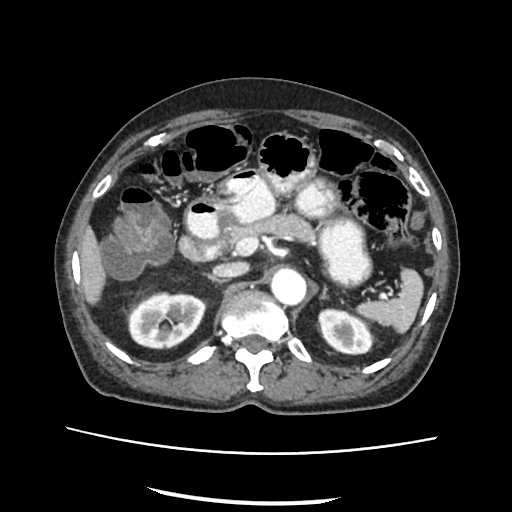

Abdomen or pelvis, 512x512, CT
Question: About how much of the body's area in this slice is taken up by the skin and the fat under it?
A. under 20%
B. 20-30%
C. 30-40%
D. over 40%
Answer: A. under 20%
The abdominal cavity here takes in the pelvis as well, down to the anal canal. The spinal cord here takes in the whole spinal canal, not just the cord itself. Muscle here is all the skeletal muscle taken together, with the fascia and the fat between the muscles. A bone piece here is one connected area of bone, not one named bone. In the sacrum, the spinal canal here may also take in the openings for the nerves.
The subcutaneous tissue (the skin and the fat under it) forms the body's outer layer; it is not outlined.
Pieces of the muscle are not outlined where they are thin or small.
The bones appear in 11 outlined pieces: piece 1: [[252,392],[263,388],[258,380],[259,370],[265,363],[278,359],[274,354],[277,344],[284,342],[291,353],[303,361],[311,362],[312,358],[290,331],[283,307],[266,293],[249,288],[230,299],[217,335],[232,348],[235,359],[248,369],[250,379],[246,386]], around a hole outlined by [[252,353],[256,353],[260,350],[264,348],[266,348],[268,346],[268,343],[267,341],[263,337],[261,336],[259,336],[258,335],[248,335],[242,338],[240,340],[240,343],[241,345],[245,348],[246,348],[250,352]]; piece 2: [[426,197],[428,197],[430,195],[430,193],[429,192],[429,190],[428,188],[424,183],[423,180],[421,178],[418,172],[412,166],[409,165],[407,167],[408,174],[406,177],[412,184],[412,185],[415,188],[415,189],[421,195],[423,196],[425,196]]; piece 3: [[191,364],[198,364],[201,362],[203,362],[204,361],[207,360],[212,355],[213,352],[216,349],[216,348],[217,347],[215,345],[211,345],[210,344],[208,344],[207,345],[206,345],[205,346],[198,349],[194,353],[191,354],[186,358],[186,361]]; piece 4: [[402,162],[404,160],[404,157],[403,155],[400,152],[400,151],[396,147],[395,147],[389,142],[381,138],[376,138],[374,139],[374,143],[375,145],[383,149],[386,152],[393,155],[398,160]]; piece 5: [[93,200],[95,200],[98,197],[99,197],[101,195],[102,195],[109,188],[109,187],[112,182],[112,175],[110,173],[108,173],[106,175],[105,175],[100,180],[100,181],[97,184],[97,185],[95,187],[95,188],[92,193],[92,199]]; piece 6: [[138,148],[140,148],[141,147],[153,147],[160,143],[163,143],[165,141],[165,139],[168,136],[168,134],[166,132],[162,132],[158,134],[154,134],[148,137],[145,140],[144,140],[142,142],[141,144],[141,146],[139,148]]; piece 7: [[135,365],[138,365],[138,363],[134,361],[125,352],[124,352],[122,350],[118,348],[111,342],[109,341],[105,341],[105,344],[106,346],[111,352],[112,352],[115,355],[116,355],[122,360],[130,364],[134,364]]; piece 8: [[421,326],[425,323],[425,322],[430,316],[433,310],[433,308],[435,304],[435,301],[436,300],[436,296],[437,295],[435,291],[432,292],[431,295],[428,299],[428,301],[426,304],[426,306],[425,307],[425,309],[424,310],[423,315],[419,323],[419,324]]; piece 9: [[363,373],[371,373],[372,372],[374,372],[375,371],[382,368],[384,366],[385,366],[391,360],[391,359],[392,358],[390,356],[388,356],[387,357],[386,357],[385,358],[383,358],[370,365],[368,365],[367,366],[362,368],[361,369],[361,371]]; piece 10: [[77,284],[79,284],[80,283],[80,276],[79,275],[79,257],[78,256],[78,251],[77,250],[74,250],[74,251],[73,252],[73,254],[72,255],[72,271],[73,272],[73,277],[74,278],[74,280],[75,281],[75,282]]; piece 11: [[438,251],[439,250],[440,250],[440,249],[441,248],[441,236],[440,235],[440,233],[439,232],[438,229],[435,226],[433,226],[432,227],[432,239],[433,240],[433,243],[434,244],[434,246],[435,247],[436,250],[437,250]]. The spinal cord is outlined by [[252,353],[256,353],[260,350],[264,348],[266,348],[268,346],[268,343],[267,341],[263,337],[261,336],[259,336],[258,335],[248,335],[242,338],[240,340],[240,343],[241,345],[245,348],[246,348],[250,352]]. The torso is outlined by [[279,415],[375,409],[398,402],[415,388],[433,361],[453,311],[460,273],[457,223],[420,143],[390,115],[347,95],[294,80],[221,78],[182,89],[143,109],[96,155],[75,188],[56,234],[57,299],[82,375],[99,393],[145,405],[211,413],[252,404]]. The muscle is outlined by [[288,405],[365,396],[401,378],[416,361],[448,282],[446,225],[432,184],[407,150],[384,132],[352,118],[315,110],[206,109],[130,136],[97,173],[77,209],[66,243],[67,287],[80,331],[104,369],[134,388],[182,399],[217,403],[249,391],[245,386],[247,369],[234,359],[231,348],[215,333],[176,360],[148,362],[132,358],[139,365],[130,365],[105,346],[104,341],[109,340],[93,321],[71,271],[72,252],[79,251],[95,201],[91,199],[94,187],[108,172],[113,175],[111,186],[125,167],[153,149],[137,148],[144,139],[166,131],[166,140],[201,124],[281,112],[319,127],[341,127],[371,140],[381,137],[389,141],[405,157],[402,163],[394,159],[404,173],[412,165],[429,188],[431,195],[422,198],[432,226],[442,236],[441,250],[434,249],[429,296],[434,290],[438,295],[431,316],[423,326],[416,325],[392,352],[393,358],[385,367],[371,374],[363,374],[358,367],[334,366],[313,358],[306,363],[291,354],[284,343],[277,345],[275,354],[279,359],[260,370],[264,388],[252,393],[274,402],[287,401]], around a hole outlined by [[191,364],[198,364],[201,362],[203,362],[204,361],[207,360],[212,355],[213,352],[216,349],[216,348],[217,347],[215,345],[211,345],[210,344],[208,344],[207,345],[206,345],[205,346],[198,349],[194,353],[191,354],[186,358],[186,361]]. The abdominal cavity is outlined by [[359,367],[389,355],[419,321],[431,285],[434,248],[421,196],[395,158],[373,141],[281,113],[201,125],[140,156],[96,200],[80,245],[80,284],[94,321],[131,357],[169,361],[183,356],[219,330],[229,299],[252,287],[284,307],[291,331],[314,359]].